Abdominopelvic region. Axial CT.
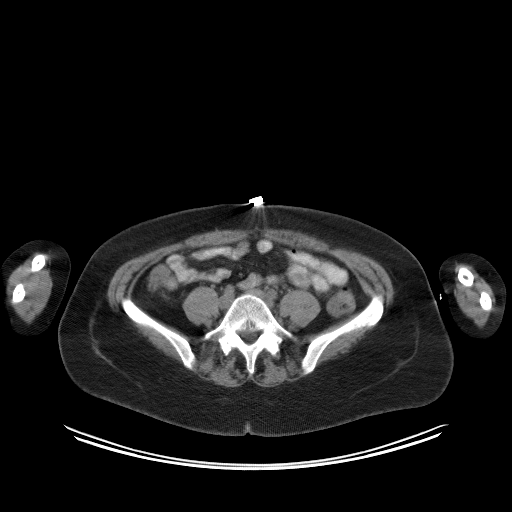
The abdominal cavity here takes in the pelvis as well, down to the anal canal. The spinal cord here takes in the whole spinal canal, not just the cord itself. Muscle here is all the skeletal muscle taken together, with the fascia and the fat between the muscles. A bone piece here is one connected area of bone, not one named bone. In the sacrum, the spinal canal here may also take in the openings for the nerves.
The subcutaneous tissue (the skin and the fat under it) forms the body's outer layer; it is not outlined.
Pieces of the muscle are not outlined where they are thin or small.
{"torso":[[[269,201],[313,207],[360,220],[395,238],[418,259],[454,352],[451,378],[436,400],[306,433],[230,436],[161,421],[94,397],[71,381],[59,353],[58,324],[83,267],[101,243],[132,224],[169,212],[222,202],[247,203],[245,207],[250,208]]],"right_arm":[[[37,238],[50,239],[59,243],[63,246],[69,255],[71,263],[71,270],[64,295],[49,327],[39,335],[33,337],[24,337],[15,333],[11,328],[4,302],[4,292],[2,284],[2,273],[0,268],[4,260],[12,251],[25,242]]],"muscle":[[[265,227],[300,231],[333,247],[351,249],[377,261],[387,272],[394,289],[393,302],[380,321],[385,311],[383,295],[374,293],[370,299],[356,275],[337,257],[297,248],[263,236],[251,236],[228,244],[208,244],[170,252],[142,272],[133,285],[131,297],[124,296],[121,299],[120,305],[127,317],[163,337],[175,350],[181,363],[157,349],[121,313],[115,312],[109,306],[109,282],[117,268],[126,261],[198,233],[215,229]],[[293,290],[309,292],[320,306],[317,315],[296,331],[300,336],[320,332],[353,316],[309,341],[300,361],[304,377],[273,387],[262,387],[251,381],[226,387],[200,379],[188,370],[192,370],[196,362],[188,339],[160,322],[186,335],[203,335],[205,341],[216,336],[222,353],[227,356],[236,349],[244,358],[248,374],[252,375],[262,351],[273,357],[280,351],[284,338],[294,338],[286,328],[286,318],[279,311],[280,300]],{"outer":[[34,252],[47,252],[48,253],[51,253],[55,256],[55,260],[54,261],[54,263],[50,271],[50,275],[52,279],[52,288],[51,289],[51,293],[49,296],[49,298],[47,301],[47,303],[43,310],[33,320],[33,321],[31,323],[28,324],[24,322],[19,317],[18,317],[9,305],[8,303],[7,295],[6,294],[6,283],[7,282],[7,279],[9,277],[12,271],[19,265],[20,265]],"holes":[[[38,253],[43,253],[46,255],[46,260],[45,261],[45,265],[41,269],[40,269],[38,271],[35,271],[34,272],[32,272],[31,271],[30,271],[30,268],[31,267],[31,261],[32,260],[32,259],[33,258],[33,257],[36,254],[37,254]],[[18,283],[22,283],[23,284],[23,287],[24,288],[24,290],[25,291],[25,295],[24,296],[24,297],[23,298],[23,299],[21,301],[20,301],[17,303],[15,303],[13,300],[13,296],[12,295],[12,292],[13,291],[13,289],[14,288],[14,287]]]},{"outer":[[457,262],[459,263],[467,263],[468,264],[470,264],[487,282],[487,283],[489,284],[494,293],[494,295],[496,299],[496,304],[498,307],[498,311],[496,313],[494,313],[490,316],[489,319],[487,321],[485,325],[482,328],[479,328],[470,318],[467,317],[463,313],[463,312],[460,309],[455,299],[455,297],[454,296],[454,293],[453,292],[453,289],[452,288],[452,283],[451,282],[451,271],[452,270],[452,265]],"holes":[[[461,266],[464,266],[465,267],[466,267],[473,274],[473,276],[474,277],[474,278],[473,279],[473,283],[471,286],[465,286],[462,283],[461,283],[459,281],[459,280],[457,277],[457,274],[458,273],[458,270],[459,269],[459,268]],[[482,291],[485,291],[486,292],[487,292],[489,294],[489,295],[491,298],[491,302],[492,303],[492,305],[491,306],[491,309],[488,311],[487,310],[484,310],[481,307],[481,306],[480,305],[480,303],[479,302],[479,298],[480,297],[480,293]]]},[[199,286],[207,286],[208,287],[210,287],[212,288],[217,294],[217,305],[218,306],[219,315],[217,317],[216,320],[217,321],[220,321],[216,326],[205,332],[203,330],[205,327],[203,325],[196,325],[188,319],[182,307],[182,303],[188,294],[193,289]],[[377,324],[373,329],[367,332],[365,334],[364,337],[360,339],[348,352],[342,353],[336,358],[324,361],[316,367],[318,360],[322,355],[323,352],[326,348],[337,338],[340,336],[342,336],[345,334],[348,334],[354,331],[358,331],[364,328],[373,327]]],"bones":[{"outer":[[247,292],[260,297],[267,304],[277,322],[293,334],[293,338],[283,338],[279,344],[279,351],[275,355],[262,350],[255,360],[252,374],[249,374],[245,358],[236,348],[225,355],[216,335],[206,340],[203,338],[206,332],[220,323],[234,298]],"hole":[[246,330],[248,330],[249,331],[255,331],[256,332],[258,332],[258,334],[257,335],[257,336],[256,337],[256,338],[251,343],[247,343],[242,338],[242,337],[240,335],[240,334],[239,333],[240,332],[241,332],[242,331],[245,331]]},[[374,294],[380,294],[383,297],[384,311],[379,321],[373,326],[354,330],[337,337],[322,352],[317,360],[313,371],[307,375],[303,375],[301,368],[301,361],[305,355],[307,346],[310,341],[316,336],[322,333],[331,331],[351,319],[366,306]],[[124,297],[130,297],[142,310],[150,316],[171,330],[182,335],[187,339],[189,342],[191,349],[195,355],[195,362],[193,365],[192,369],[187,369],[183,365],[182,361],[176,350],[163,336],[150,328],[140,325],[128,317],[124,312],[121,305],[121,301]],[[461,266],[464,266],[465,267],[466,267],[473,274],[473,276],[474,277],[474,278],[473,279],[473,283],[471,286],[465,286],[462,283],[461,283],[459,281],[459,280],[457,277],[457,274],[458,273],[458,270],[459,269],[459,268]],[[38,253],[43,253],[46,255],[46,260],[45,261],[45,265],[41,269],[40,269],[38,271],[35,271],[34,272],[32,272],[31,271],[30,271],[30,268],[31,267],[31,261],[32,260],[32,259],[33,258],[33,257],[36,254],[37,254]],[[18,283],[22,283],[23,284],[23,287],[24,288],[24,290],[25,291],[25,295],[24,296],[24,297],[23,298],[23,299],[21,301],[20,301],[17,303],[15,303],[13,300],[13,296],[12,295],[12,292],[13,291],[13,289],[14,288],[14,287]],[[482,291],[485,291],[486,292],[487,292],[489,294],[489,295],[491,298],[491,302],[492,303],[492,305],[491,306],[491,309],[488,311],[487,310],[484,310],[481,307],[481,306],[480,305],[480,303],[479,302],[479,298],[480,297],[480,293]]],"left_arm":[[[462,251],[471,251],[485,257],[491,262],[499,272],[505,284],[506,302],[502,321],[497,331],[491,337],[485,340],[471,339],[464,335],[458,328],[451,316],[448,307],[447,296],[443,292],[442,286],[438,277],[438,271],[441,263],[448,256],[454,253]]],"abdominal_cavity":[[[251,237],[345,264],[369,299],[353,315],[300,335],[297,331],[321,306],[309,291],[293,289],[278,303],[286,327],[248,291],[234,297],[217,320],[217,292],[199,285],[181,303],[187,319],[204,327],[203,334],[190,335],[132,299],[138,278],[164,256]]],"spinal_cord":[[[246,330],[248,330],[249,331],[255,331],[256,332],[258,332],[258,334],[257,335],[257,336],[256,337],[256,338],[251,343],[247,343],[242,338],[242,337],[240,335],[240,334],[239,333],[240,332],[241,332],[242,331],[245,331]]]}